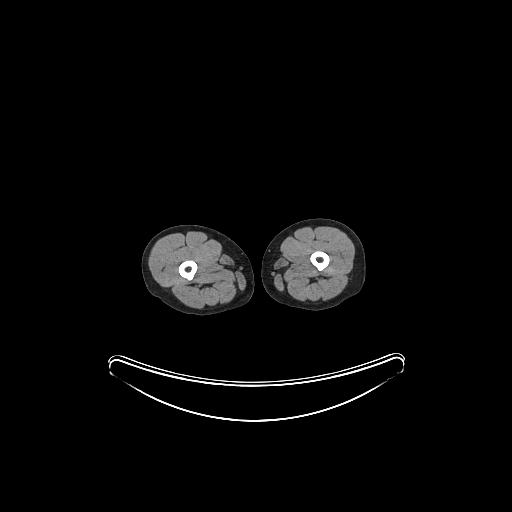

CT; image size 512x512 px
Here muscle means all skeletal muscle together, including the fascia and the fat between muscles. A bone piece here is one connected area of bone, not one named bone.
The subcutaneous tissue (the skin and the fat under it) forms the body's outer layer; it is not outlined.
Outlined structures:
bones 1: 187 259; 191 259; 192 260; 193 260; 197 264; 197 269; 196 270; 196 271; 195 272; 195 273; 193 276; 193 278; 190 280; 189 280; 188 279; 187 279; 184 277; 182 277; 179 274; 179 272; 178 271; 178 266; 183 261; 184 261
bones 2: 316 250; 320 250; 321 251; 323 251; 324 252; 325 252; 327 254; 328 254; 328 255; 330 257; 330 261; 329 262; 328 265; 324 269; 323 269; 322 270; 318 270; 318 269; 311 262; 311 261; 310 260; 310 255; 314 251; 315 251
left leg: 309 218; 330 218; 344 223; 350 227; 357 234; 361 240; 365 252; 366 277; 363 287; 359 293; 345 300; 335 307; 320 311; 309 311; 299 308; 293 308; 275 301; 266 292; 261 280; 262 258; 269 242; 282 229; 295 222
muscle 1: 180 231; 201 231; 205 233; 209 233; 231 250; 246 273; 247 280; 246 291; 237 299; 228 304; 216 307; 206 307; 204 309; 196 309; 184 305; 168 292; 166 289; 161 287; 153 279; 148 267; 147 261; 150 251; 158 239; 170 233, around a hole outlined by 187 259; 191 259; 192 260; 193 260; 197 264; 197 269; 196 270; 196 271; 195 272; 195 273; 193 276; 193 278; 190 280; 189 280; 188 279; 187 279; 184 277; 182 277; 179 274; 179 272; 178 271; 178 266; 183 261; 184 261
muscle 2: 308 225; 326 225; 327 226; 337 227; 346 233; 353 242; 355 247; 354 275; 352 280; 348 286; 340 294; 328 301; 317 304; 304 304; 289 297; 284 293; 280 292; 271 282; 267 271; 269 263; 276 248; 277 243; 282 238; 293 230, around a hole outlined by 316 250; 320 250; 321 251; 323 251; 324 252; 325 252; 327 254; 328 254; 328 255; 330 257; 330 261; 329 262; 328 265; 324 269; 323 269; 322 270; 318 270; 318 269; 311 262; 311 261; 310 260; 310 255; 314 251; 315 251
right leg: 180 224; 198 224; 215 229; 232 239; 244 251; 251 263; 254 275; 254 291; 250 300; 245 305; 218 314; 198 316; 192 314; 184 314; 176 311; 150 294; 145 286; 141 272; 141 257; 143 250; 149 240; 155 234; 165 228